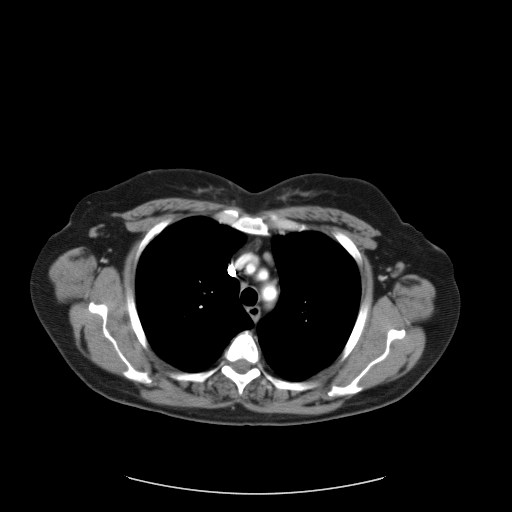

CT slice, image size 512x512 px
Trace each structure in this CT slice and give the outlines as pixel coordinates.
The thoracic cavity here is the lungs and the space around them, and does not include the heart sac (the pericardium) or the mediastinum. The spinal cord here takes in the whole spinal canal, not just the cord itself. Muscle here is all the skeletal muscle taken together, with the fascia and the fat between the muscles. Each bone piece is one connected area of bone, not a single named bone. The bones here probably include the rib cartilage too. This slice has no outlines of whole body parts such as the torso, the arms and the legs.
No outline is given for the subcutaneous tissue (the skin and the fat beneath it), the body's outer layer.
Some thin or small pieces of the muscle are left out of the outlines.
The bones appear in 8 outlined pieces: piece 1: 244,330 251,332 269,373 286,381 312,380 319,384 303,391 274,386 269,389 261,383 263,377 259,376 250,381 240,395 236,384 219,371 210,377 211,384 207,380 171,378 170,371 196,373 212,368 232,339 with a hole at 240,359 244,359 246,361 247,361 250,364 250,367 245,372 244,372 243,373 241,373 240,372 238,372 237,371 236,371 232,367 232,363 233,363 235,361 236,361 237,360 239,360; piece 2: 227,208 236,209 240,215 247,214 253,217 260,217 270,212 275,213 280,217 305,224 309,229 302,231 288,231 284,234 280,234 276,229 270,229 269,235 245,233 230,226 228,224 220,223 211,216 215,213; piece 3: 391,328 404,329 405,335 401,339 394,339 390,343 389,352 386,357 381,361 374,364 358,381 358,384 363,388 362,390 354,394 329,396 327,393 333,385 337,386 347,385 372,360 378,357 385,350 387,332; piece 4: 91,301 96,304 102,303 106,305 107,330 131,365 136,370 143,371 148,374 151,379 150,383 142,383 131,380 123,375 122,373 127,367 118,355 113,344 104,335 102,329 102,317 89,311 88,305; piece 5: 365,298 367,298 367,300 369,302 369,307 368,308 368,314 367,315 367,318 364,327 356,344 352,350 344,360 340,361 339,360 339,356 342,350 344,348 344,346 354,326 359,311 360,303 362,300; piece 6: 127,286 130,287 133,291 137,314 141,326 145,334 146,339 149,344 148,349 145,349 142,346 139,342 134,331 132,329 130,323 130,320 129,319 129,316 128,315 128,312 127,311 127,308 126,307 126,289; piece 7: 167,218 171,218 172,219 172,222 170,224 166,226 146,245 146,246 141,252 139,256 139,258 137,261 136,266 135,267 135,255 136,254 136,252 137,251 138,246 141,240 144,237 145,234 155,224; piece 8: 333,231 340,231 341,232 344,233 352,240 352,241 354,243 354,244 358,249 358,250 361,255 361,264 360,265 360,266 358,266 357,263 352,257 352,256 335,239 334,239 333,238 333,236 332,235 332,232. The mediastinum is outlined by 270,230 275,230 278,233 271,237 271,251 279,277 280,293 274,309 270,313 264,315 256,325 257,343 250,330 254,323 238,299 240,284 235,277 228,273 227,268 233,254 246,241 246,234 269,236 271,234. The spinal cord is outlined by 240,359 244,359 246,361 247,361 250,364 250,367 245,372 244,372 243,373 241,373 240,372 238,372 237,371 236,371 232,367 232,363 233,363 235,361 236,361 237,360 239,360. The thoracic cavity appears in 2 outlined pieces: piece 1: 192,216 211,217 218,223 245,234 245,241 232,254 226,271 237,280 239,284 237,299 253,323 250,329 240,331 231,339 215,365 196,372 180,370 162,359 152,349 142,326 135,299 136,267 144,249 166,227; piece 2: 306,230 329,236 351,256 358,267 360,276 360,302 353,326 339,355 329,365 307,379 291,381 274,375 266,367 258,345 257,325 264,316 275,309 281,293 280,277 272,251 272,237 276,234 284,235 288,232. The muscle is outlined by 165,197 234,204 248,213 291,205 317,205 341,209 365,221 381,233 374,238 377,246 365,251 372,266 375,300 389,292 402,275 426,278 435,288 434,312 421,357 405,374 363,390 359,381 374,365 387,357 394,340 401,340 406,335 404,328 391,327 386,332 384,350 347,384 333,384 327,391 329,397 353,395 340,407 321,414 262,413 249,410 239,403 233,408 180,407 156,404 140,397 129,380 96,365 76,347 69,321 56,299 48,271 58,256 80,246 93,254 100,266 111,265 120,271 125,256 138,235 129,231 124,220 114,214 125,212 149,200; inner edges: 227,208 275,213 331,238 340,231 361,255 364,327 344,360 305,380 318,381 313,388 269,389 259,376 240,395 219,371 211,384 175,380 168,372 180,370 145,349 132,329 126,289 135,293 145,234 167,218, then 91,301 96,304 102,303 106,305 107,330 131,365 136,370 143,371 148,374 151,379 150,383 142,383 131,380 123,375 122,373 127,367 118,355 113,344 104,335 102,329 102,317 89,311 88,305.